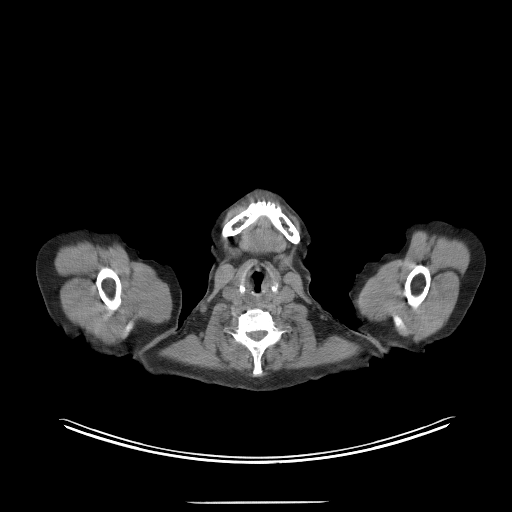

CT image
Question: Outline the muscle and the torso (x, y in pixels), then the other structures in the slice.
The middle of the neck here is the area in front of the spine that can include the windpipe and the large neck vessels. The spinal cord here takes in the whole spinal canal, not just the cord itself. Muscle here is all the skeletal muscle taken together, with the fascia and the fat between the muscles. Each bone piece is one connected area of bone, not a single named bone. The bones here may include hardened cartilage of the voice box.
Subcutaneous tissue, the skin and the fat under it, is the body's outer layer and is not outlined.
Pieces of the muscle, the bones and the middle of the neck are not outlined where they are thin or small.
Answer: {"muscle":[{"outer":[[256,194],[276,198],[299,221],[302,237],[295,266],[301,275],[304,292],[338,330],[357,343],[369,347],[359,355],[310,368],[281,369],[261,377],[249,376],[239,371],[218,371],[185,365],[156,355],[162,346],[185,334],[189,321],[211,292],[215,271],[223,257],[219,245],[220,230],[223,238],[231,237],[264,216],[292,244],[297,245],[301,241],[300,231],[281,206],[264,199],[252,200],[221,228],[221,222],[230,209]],"holes":[[[253,307],[269,311],[277,324],[291,327],[290,332],[283,333],[276,343],[264,350],[261,356],[262,373],[259,376],[254,376],[252,373],[254,363],[250,351],[231,334],[223,332],[225,327],[235,326],[237,323],[237,317],[232,317],[232,309],[237,316]],[[252,262],[262,262],[263,264],[265,264],[273,272],[273,275],[276,280],[280,283],[286,285],[293,291],[295,295],[294,299],[289,302],[277,301],[253,305],[240,305],[237,303],[228,301],[223,296],[221,291],[225,287],[236,284],[238,282],[240,275]]]},{"outer":[[78,238],[116,240],[134,261],[152,267],[169,286],[173,305],[170,319],[156,325],[146,322],[139,323],[136,331],[129,336],[135,325],[132,320],[129,320],[120,335],[124,339],[110,345],[92,337],[72,324],[64,314],[57,296],[53,259],[60,245]],"hole":[[103,266],[107,266],[111,268],[117,274],[119,278],[120,283],[121,284],[121,304],[118,308],[118,309],[114,311],[111,314],[109,314],[108,310],[106,308],[104,303],[102,301],[99,295],[98,289],[96,286],[96,278],[97,277],[97,274],[100,268]]},{"outer":[[418,229],[462,239],[467,242],[471,255],[468,268],[460,280],[459,294],[455,307],[446,325],[431,336],[415,342],[399,335],[387,324],[369,321],[360,313],[356,304],[356,298],[366,280],[381,265],[391,260],[402,258],[405,255],[410,244],[412,233]],"holes":[[[416,264],[422,264],[426,266],[429,269],[431,279],[429,284],[429,288],[425,298],[419,306],[417,312],[413,312],[410,307],[407,305],[406,303],[406,299],[403,295],[403,289],[404,288],[404,283],[407,278],[408,274],[411,271],[414,265]],[[394,313],[397,314],[402,319],[402,320],[404,322],[404,323],[405,324],[406,327],[410,331],[411,331],[411,333],[410,333],[407,335],[404,335],[402,333],[402,332],[400,330],[399,330],[394,325],[394,323],[393,322],[393,320],[392,319],[392,316]]]}],"torso":[[[193,307],[201,339],[230,388],[222,387],[218,385],[208,385],[199,381],[186,379],[181,377],[175,377],[174,376],[153,376],[149,374],[137,362],[134,361],[131,358],[131,357],[164,341],[168,337],[177,321],[178,320],[178,324],[180,326]],[[322,306],[324,309],[345,325],[350,327],[352,325],[350,320],[354,325],[357,324],[360,325],[377,340],[385,343],[392,350],[391,352],[383,360],[378,358],[373,358],[370,361],[369,367],[367,368],[327,375],[320,379],[315,380],[320,352],[319,342]]],"right_arm":[[[80,227],[89,227],[98,232],[115,231],[129,246],[139,251],[140,257],[167,264],[174,270],[181,284],[182,307],[178,319],[164,340],[132,356],[100,355],[90,349],[83,339],[68,338],[52,321],[46,310],[35,275],[36,254],[41,245],[57,232]]],"left_arm":[[[432,219],[440,219],[467,227],[479,236],[486,253],[483,277],[465,316],[451,335],[428,345],[422,354],[401,348],[392,349],[354,319],[348,291],[355,274],[362,269],[367,261],[376,261],[386,252],[398,251],[405,242],[406,228],[414,223],[426,222]]],"head_and_neck":[[[255,187],[265,187],[279,193],[305,223],[312,239],[304,261],[311,274],[309,291],[321,305],[319,352],[314,380],[272,391],[232,389],[229,386],[202,339],[194,308],[207,287],[208,274],[213,261],[210,254],[212,244],[210,230],[215,219],[222,210]]],"spinal_cord":[[[253,331],[265,331],[266,332],[266,333],[264,335],[264,336],[261,339],[260,339],[259,340],[255,340],[254,339],[253,339],[252,338],[251,338],[247,334],[247,333],[248,333],[249,332],[252,332]]],"bones":[{"outer":[[253,307],[269,311],[277,324],[291,327],[290,332],[283,333],[276,343],[264,350],[261,356],[262,373],[259,376],[254,376],[252,373],[254,363],[250,351],[231,334],[223,332],[225,327],[235,326],[237,323],[237,317],[232,317],[232,309],[237,316]],"hole":[[253,331],[265,331],[266,332],[266,333],[264,335],[264,336],[261,339],[260,339],[259,340],[255,340],[254,339],[253,339],[252,338],[251,338],[247,334],[247,333],[248,333],[249,332],[252,332]]},[[258,200],[270,201],[280,206],[282,212],[299,231],[300,241],[297,244],[292,243],[288,240],[273,225],[269,218],[264,215],[260,216],[253,223],[248,225],[237,234],[227,237],[223,237],[221,235],[221,229],[227,221],[244,210],[252,201],[256,202]],[[416,264],[422,264],[426,266],[429,269],[431,279],[429,284],[429,288],[425,298],[419,306],[417,312],[413,312],[410,307],[407,305],[406,303],[406,299],[403,295],[403,289],[404,288],[404,283],[407,278],[408,274],[411,271],[414,265]],[[103,266],[107,266],[111,268],[117,274],[119,278],[120,283],[121,284],[121,304],[118,308],[118,309],[114,311],[111,314],[109,314],[108,310],[106,308],[104,303],[102,301],[99,295],[98,289],[96,286],[96,278],[97,277],[97,274],[100,268]],[[394,313],[397,314],[402,319],[402,320],[404,322],[404,323],[405,324],[406,327],[410,331],[411,331],[411,333],[410,333],[407,335],[404,335],[402,333],[402,332],[400,330],[399,330],[394,325],[394,323],[393,322],[393,320],[392,319],[392,316]],[[129,321],[132,321],[133,322],[133,323],[134,324],[134,325],[133,326],[133,328],[131,330],[131,331],[128,334],[128,335],[125,338],[122,338],[121,337],[121,335],[123,332],[123,330],[124,329],[124,328],[125,327],[125,326],[127,324],[127,323]],[[244,271],[245,271],[245,275],[244,276],[244,281],[243,282],[243,285],[244,286],[244,291],[243,292],[243,293],[241,293],[239,291],[239,284],[240,283],[240,279],[239,278],[240,277],[240,275]]],"middle_of_the_neck":[[[252,262],[262,262],[273,272],[275,279],[270,289],[274,293],[278,291],[279,282],[293,291],[294,299],[289,302],[277,301],[253,305],[240,305],[228,301],[221,291],[225,287],[236,284],[239,279],[238,291],[243,294],[246,275],[244,270]]]}